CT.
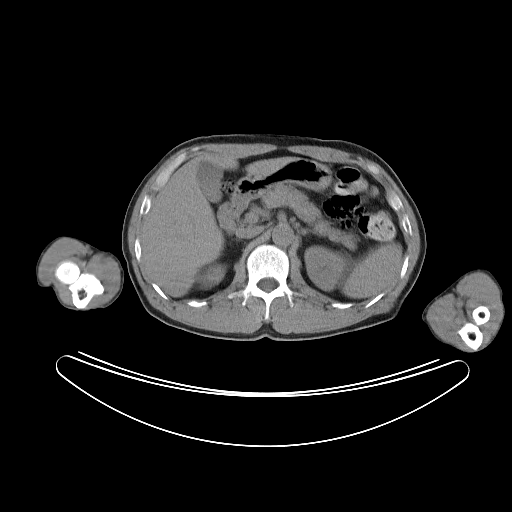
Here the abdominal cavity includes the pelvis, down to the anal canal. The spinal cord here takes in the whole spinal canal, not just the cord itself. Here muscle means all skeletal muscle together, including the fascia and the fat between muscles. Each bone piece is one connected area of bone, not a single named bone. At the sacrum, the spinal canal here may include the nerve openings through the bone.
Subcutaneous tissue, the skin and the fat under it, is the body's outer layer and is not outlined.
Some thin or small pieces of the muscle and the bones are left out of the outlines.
Outlines:
spinal cord: 265 278; 272 278; 273 279; 274 279; 276 281; 276 282; 277 283; 277 285; 273 289; 272 289; 270 291; 269 291; 268 292; 267 292; 266 291; 265 291; 264 290; 263 290; 261 288; 260 288; 258 286; 258 283; 262 279; 264 279
left arm: 475 268; 488 269; 495 276; 499 282; 503 290; 503 303; 505 307; 505 315; 501 327; 493 341; 487 347; 480 351; 468 353; 437 341; 432 336; 429 330; 422 322; 421 315; 423 309; 427 303; 433 297; 445 289; 459 276; 465 272
bones 1: 261 244; 272 244; 287 254; 287 285; 301 294; 293 296; 293 306; 290 306; 286 296; 275 297; 270 303; 267 320; 264 318; 265 303; 262 298; 251 295; 243 305; 241 296; 227 296; 241 290; 247 284; 247 258; 252 250 with a hole at 265 278; 272 278; 273 279; 274 279; 276 281; 276 282; 277 283; 277 285; 273 289; 272 289; 270 291; 269 291; 268 292; 267 292; 266 291; 265 291; 264 290; 263 290; 261 288; 260 288; 258 286; 258 283; 262 279; 264 279
bones 2: 63 260; 70 260; 74 262; 79 267; 81 272; 89 272; 94 274; 100 280; 103 285; 104 288; 103 292; 101 294; 94 295; 91 298; 85 308; 77 308; 73 304; 71 292; 68 287; 68 285; 61 282; 55 276; 55 269; 57 265
bones 3: 479 305; 484 305; 486 306; 489 310; 490 315; 489 316; 489 319; 486 322; 481 324; 479 326; 479 329; 481 331; 483 336; 481 344; 477 349; 472 349; 463 341; 457 331; 466 322; 472 322; 473 321; 473 319; 472 318; 472 311
bones 4: 184 152; 186 152; 187 154; 187 157; 186 159; 179 165; 178 165; 177 167; 176 167; 173 170; 165 183; 159 189; 157 190; 154 189; 153 188; 153 186; 154 185; 155 180; 158 175; 168 165; 168 164; 170 162; 171 162; 178 155
bones 5: 390 191; 393 191; 394 192; 395 192; 395 193; 399 197; 399 198; 400 199; 400 200; 403 205; 403 208; 402 209; 400 209; 398 211; 396 211; 390 205; 390 204; 388 201; 388 198; 387 197; 387 196; 388 195; 388 193
bones 6: 145 195; 148 195; 150 197; 150 198; 151 199; 151 205; 150 206; 150 208; 149 209; 148 212; 146 214; 144 214; 143 215; 140 215; 140 214; 139 213; 139 211; 140 210; 140 207; 141 206; 141 203; 142 202; 142 200
bones 7: 404 214; 406 214; 407 215; 407 216; 409 219; 409 221; 410 222; 410 224; 411 225; 411 228; 412 229; 412 234; 411 235; 410 235; 408 233; 407 233; 404 231; 404 230; 403 229; 403 228; 402 227; 402 226; 400 223; 400 220
bones 8: 136 238; 138 238; 139 239; 139 242; 140 243; 140 246; 141 247; 141 259; 140 260; 140 261; 138 261; 136 259; 136 256; 135 255; 135 251; 134 250; 134 244; 135 243; 135 239
bones 9: 192 299; 194 299; 195 300; 198 300; 199 301; 200 301; 201 300; 204 300; 207 302; 207 304; 206 305; 204 305; 203 306; 201 306; 200 307; 194 307; 193 306; 190 306; 187 304; 187 302; 189 300; 191 300
bones 10: 407 255; 408 256; 408 263; 407 264; 407 268; 406 269; 406 271; 405 272; 405 274; 404 275; 404 276; 402 278; 401 278; 400 277; 400 270; 401 269; 401 267; 402 266; 402 263; 403 262; 403 260; 404 259; 404 257
bones 11: 334 302; 341 302; 342 303; 352 303; 352 305; 351 306; 350 306; 349 307; 347 307; 346 308; 337 308; 336 307; 333 307; 331 305; 331 304; 332 303; 333 303
bones 12: 367 163; 371 163; 372 164; 373 164; 375 166; 376 166; 379 169; 379 174; 374 174; 373 173; 372 173; 370 171; 369 171; 368 170; 368 168; 367 167
bones 13: 152 282; 153 282; 154 283; 155 283; 160 288; 160 289; 168 297; 168 299; 165 299; 164 298; 163 298; 155 290; 155 289; 152 286
bones 14: 380 293; 384 293; 384 294; 377 301; 376 301; 374 303; 373 303; 370 306; 369 306; 368 307; 367 307; 366 308; 365 307; 365 305; 370 300; 371 300; 374 297; 375 297; 377 295; 378 295
muscle 1: 204 143; 240 143; 241 144; 243 143; 265 143; 266 144; 272 144; 277 146; 284 146; 285 147; 287 146; 295 146; 296 145; 321 146; 322 147; 329 147; 330 148; 339 149; 346 152; 358 154; 365 158; 372 160; 380 165; 394 181; 412 209; 412 211; 417 222; 417 227; 419 232; 419 240; 420 241; 420 249; 419 250; 419 254; 416 263; 410 274; 410 276; 406 284; 400 292; 394 303; 394 305; 391 309; 389 311; 384 313; 379 313; 378 314; 372 315; 354 324; 337 329; 329 330; 328 331; 322 331; 321 332; 315 332; 314 333; 293 333; 292 332; 291 333; 281 333; 276 331; 269 323; 268 324; 264 323; 257 330; 252 333; 234 333; 233 332; 224 333; 223 332; 218 332; 217 331; 212 331; 211 330; 197 328; 184 324; 170 318; 159 310; 154 308; 150 304; 143 292; 143 290; 137 279; 131 261; 131 256; 128 246; 128 227; 132 215; 132 212; 136 201; 145 184; 167 159; 177 151; 185 147; 188 147; 196 144; 203 144 with a hole at 275 151; 356 164; 366 171; 367 163; 376 166; 379 174; 371 174; 387 196; 393 191; 399 197; 403 208; 397 216; 400 220; 406 214; 411 225; 411 235; 403 232; 404 255; 408 256; 404 276; 398 275; 366 308; 367 301; 337 308; 331 305; 336 300; 308 285; 294 257; 286 282; 301 294; 293 296; 293 306; 286 296; 275 297; 266 320; 262 298; 251 295; 243 305; 241 296; 227 296; 247 284; 247 269; 241 259; 230 284; 202 299; 206 305; 194 307; 187 304; 188 299; 163 298; 134 250; 146 217; 139 213; 141 203; 145 195; 152 201; 156 197; 158 191; 153 186; 158 175; 184 152; 188 158; 205 152; 245 158
muscle 2: 475 272; 487 274; 496 284; 502 313; 494 333; 480 346; 484 337; 480 326; 490 319; 491 313; 486 305; 477 305; 471 311; 472 321; 466 321; 456 331; 470 348; 463 348; 439 337; 429 324; 426 315; 437 299; 452 292; 464 277
muscle 3: 62 238; 79 241; 94 253; 103 253; 116 262; 120 272; 119 287; 107 302; 87 307; 94 296; 104 292; 104 285; 94 273; 81 271; 70 259; 56 265; 54 276; 67 285; 74 306; 64 303; 52 284; 41 282; 41 259; 48 248
torso: 231 133; 285 134; 346 140; 372 150; 390 165; 419 210; 427 242; 420 273; 393 319; 320 339; 278 341; 263 337; 254 341; 234 341; 204 337; 169 326; 144 309; 130 279; 121 249; 122 224; 130 198; 146 173; 174 146; 197 136
right arm: 61 235; 73 236; 84 240; 93 246; 110 251; 119 259; 124 271; 124 281; 122 291; 113 303; 104 308; 97 308; 89 311; 74 311; 65 308; 59 303; 51 287; 41 287; 38 285; 36 281; 35 272; 37 259; 42 249; 52 239
abdominal cavity: 275 151; 356 164; 383 186; 406 245; 395 281; 367 301; 337 301; 308 285; 297 258; 290 262; 280 247; 261 243; 245 264; 242 259; 237 262; 227 287; 202 299; 169 297; 142 264; 142 224; 158 191; 178 166; 199 153; 245 158